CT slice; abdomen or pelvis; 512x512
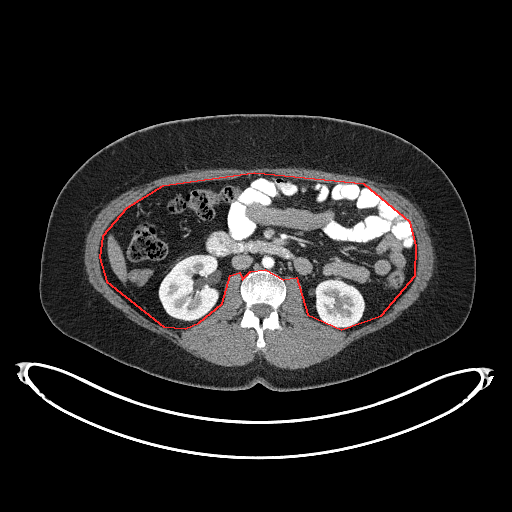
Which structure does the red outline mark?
red: abdominal cavity.
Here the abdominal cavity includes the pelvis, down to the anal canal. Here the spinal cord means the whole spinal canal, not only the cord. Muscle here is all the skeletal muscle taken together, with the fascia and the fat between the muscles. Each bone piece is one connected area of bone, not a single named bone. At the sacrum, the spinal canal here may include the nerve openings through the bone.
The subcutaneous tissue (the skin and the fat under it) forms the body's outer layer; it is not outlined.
Outlines:
abdominal cavity: (341, 329) (381, 315) (415, 275) (416, 245) (410, 222) (364, 184) (254, 173) (162, 186) (126, 208) (102, 236) (99, 257) (106, 281) (163, 326) (185, 328) (199, 322) (222, 303) (230, 275) (239, 272) (242, 279) (250, 271) (265, 269) (283, 279) (296, 277) (307, 314)
spinal cord: (260, 317) (263, 317) (264, 316) (267, 316) (268, 315) (268, 314) (271, 311) (271, 307) (269, 305) (267, 305) (266, 304) (254, 304) (252, 306) (252, 310) (254, 312) (254, 313) (256, 315) (257, 315) (258, 316) (259, 316)
muscle: (286, 369) (304, 368) (334, 356) (353, 341) (392, 322) (419, 297) (431, 278) (435, 256) (431, 239) (427, 232) (428, 224) (414, 203) (394, 190) (390, 185) (361, 176) (297, 167) (255, 167) (250, 169) (197, 169) (161, 177) (132, 187) (111, 200) (101, 209) (86, 236) (84, 250) (85, 269) (88, 280) (93, 287) (111, 304) (122, 311) (126, 317) (176, 344) (194, 356) (214, 364) (240, 366) (251, 362) (257, 357) (259, 359) (264, 358) (268, 363); inner edge: (258, 348) (265, 329) (281, 329) (286, 275) (302, 284) (307, 314) (326, 325) (352, 329) (381, 315) (415, 275) (410, 222) (364, 184) (272, 173) (162, 186) (126, 208) (100, 243) (109, 285) (152, 321) (185, 328) (222, 303) (225, 281) (239, 272) (240, 326) (256, 330)
bones: (258, 348) (262, 348) (265, 345) (263, 339) (263, 332) (265, 329) (281, 329) (278, 317) (278, 308) (285, 298) (286, 291) (284, 281) (277, 274) (265, 270) (250, 272) (242, 280) (240, 285) (241, 296) (245, 303) (240, 326) (253, 327) (256, 330) (258, 335) (256, 344), around a hole outlined by (260, 317) (263, 317) (264, 316) (267, 316) (268, 315) (268, 314) (271, 311) (271, 307) (269, 305) (267, 305) (266, 304) (254, 304) (252, 306) (252, 310) (254, 312) (254, 313) (256, 315) (257, 315) (258, 316) (259, 316)
torso: (275, 391) (322, 387) (365, 375) (440, 343) (461, 328) (475, 291) (475, 248) (464, 204) (445, 172) (422, 150) (391, 132) (311, 115) (220, 114) (172, 120) (131, 132) (93, 154) (62, 187) (47, 224) (39, 296) (51, 323) (65, 335) (160, 378) (218, 390) (260, 383)